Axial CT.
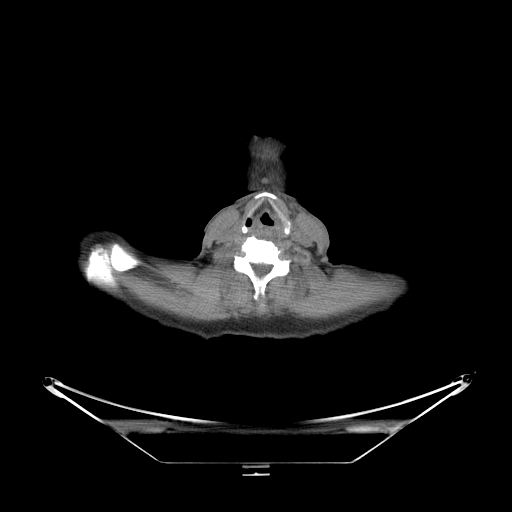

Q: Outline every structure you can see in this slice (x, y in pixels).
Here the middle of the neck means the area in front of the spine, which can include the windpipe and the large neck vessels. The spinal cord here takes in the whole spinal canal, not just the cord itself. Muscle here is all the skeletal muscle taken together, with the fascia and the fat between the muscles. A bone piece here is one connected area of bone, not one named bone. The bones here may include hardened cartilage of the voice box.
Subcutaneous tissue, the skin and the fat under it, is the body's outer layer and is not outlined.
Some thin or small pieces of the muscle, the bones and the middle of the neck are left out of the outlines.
A: muscle: [[267,146],[275,152],[282,191],[324,231],[324,264],[332,269],[355,269],[401,280],[402,290],[389,300],[327,320],[303,320],[285,314],[195,322],[106,290],[119,288],[114,271],[128,271],[141,263],[133,252],[118,242],[113,242],[109,248],[107,248],[99,242],[94,243],[89,248],[82,269],[82,256],[88,247],[93,243],[109,240],[121,241],[152,259],[193,265],[203,261],[209,225],[221,212],[244,201],[253,190],[251,174],[258,161],[256,152]]; inner edges: [[249,235],[271,240],[277,247],[283,250],[284,257],[290,260],[288,273],[284,276],[276,276],[272,278],[265,286],[264,297],[260,296],[258,300],[255,300],[253,297],[254,287],[250,278],[246,274],[236,271],[233,266],[234,255],[239,251],[241,244]], then [[263,191],[270,192],[278,198],[275,201],[277,205],[279,206],[281,211],[290,221],[290,230],[287,235],[285,234],[284,235],[276,235],[263,233],[250,233],[249,232],[244,233],[242,231],[241,228],[244,218],[256,201],[254,196],[257,193]]
torso: [[94,228],[113,229],[150,252],[188,258],[221,321],[280,325],[299,319],[342,262],[396,271],[409,278],[413,285],[409,295],[390,311],[324,337],[277,340],[225,335],[203,340],[189,333],[161,327],[136,315],[82,281],[75,265],[76,243],[85,232]]
bones 1: [[249,235],[271,240],[277,247],[283,250],[284,257],[290,260],[288,273],[284,276],[276,276],[272,278],[265,286],[264,297],[260,296],[258,300],[255,300],[253,297],[254,287],[250,278],[246,274],[236,271],[233,266],[234,255],[239,251],[241,244]] with a hole at [[252,263],[253,264],[269,264],[270,265],[271,265],[272,266],[271,267],[271,268],[270,269],[270,270],[267,273],[266,273],[264,275],[263,275],[262,276],[258,276],[255,273],[255,272],[254,271],[254,270],[252,268],[252,266],[251,265],[251,264]]
bones 2: [[115,242],[133,253],[140,260],[140,263],[135,267],[128,270],[124,271],[114,270],[113,274],[117,278],[119,285],[118,288],[117,289],[106,289],[89,282],[86,279],[83,269],[87,260],[90,248],[94,244],[99,243],[107,249],[109,249],[111,245]]
bones 3: [[277,210],[280,211],[280,212],[282,213],[283,215],[286,216],[287,218],[290,221],[290,230],[289,231],[289,233],[287,235],[285,234],[285,232],[284,231],[284,228],[285,227],[284,222],[282,220],[280,216],[280,214]]
bones 4: [[263,191],[267,191],[268,192],[270,192],[271,193],[274,194],[278,198],[278,199],[277,200],[274,200],[273,199],[272,199],[267,196],[264,196],[263,197],[260,197],[257,199],[255,199],[254,198],[254,196],[257,193],[258,193],[259,192],[262,192]]
head and neck: [[252,133],[273,134],[287,143],[289,150],[286,158],[291,174],[290,193],[325,224],[330,241],[328,257],[333,263],[341,262],[303,316],[280,324],[221,320],[189,259],[200,250],[203,229],[208,220],[219,209],[246,193],[244,189],[246,156],[243,144]]
middle of the neck: [[264,197],[267,197],[275,201],[281,211],[283,212],[283,214],[280,210],[276,210],[284,225],[284,235],[247,232],[247,227],[243,222],[244,218],[246,215],[249,216],[252,213],[252,210],[250,209],[254,205],[256,200]]
spinal cord: [[252,263],[253,264],[269,264],[270,265],[271,265],[272,266],[271,267],[271,268],[270,269],[270,270],[267,273],[266,273],[264,275],[263,275],[262,276],[258,276],[255,273],[255,272],[254,271],[254,270],[252,268],[252,266],[251,265],[251,264]]